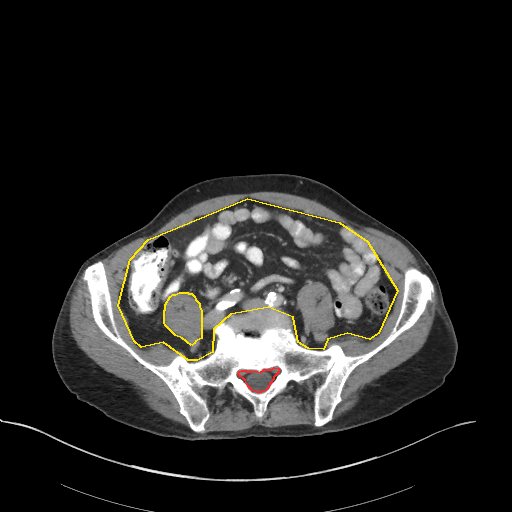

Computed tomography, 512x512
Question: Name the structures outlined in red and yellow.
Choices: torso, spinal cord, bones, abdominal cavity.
Answer: red: spinal cord; yellow: abdominal cavity.
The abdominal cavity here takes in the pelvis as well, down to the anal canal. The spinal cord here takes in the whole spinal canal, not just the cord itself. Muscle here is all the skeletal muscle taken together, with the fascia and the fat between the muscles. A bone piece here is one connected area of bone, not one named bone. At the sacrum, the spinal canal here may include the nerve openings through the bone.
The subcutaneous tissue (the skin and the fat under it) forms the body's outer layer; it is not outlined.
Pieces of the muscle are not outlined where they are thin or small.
{"spinal_cord":[[[274,367],[278,368],[279,370],[278,372],[273,377],[273,379],[269,384],[268,387],[265,390],[261,392],[256,392],[252,390],[248,386],[245,380],[238,374],[239,371],[241,370],[245,370],[246,371],[252,371],[254,370],[260,372],[264,369],[271,369]]],"abdominal_cavity":[{"outer":[[247,198],[339,222],[367,241],[397,290],[378,333],[369,339],[347,333],[327,339],[323,349],[308,348],[298,342],[293,317],[268,307],[230,314],[213,329],[212,352],[197,360],[188,360],[163,342],[141,347],[134,341],[118,305],[130,259],[148,239]],"hole":[[179,292],[187,292],[188,293],[191,293],[194,296],[195,299],[199,303],[199,306],[201,311],[201,338],[195,341],[194,343],[191,345],[182,338],[175,335],[165,325],[164,323],[164,310],[165,309],[165,304],[170,296],[173,294],[175,294]]}],"bones":[{"outer":[[99,260],[120,336],[157,365],[206,358],[218,324],[268,308],[292,317],[305,348],[363,354],[391,332],[406,269],[434,292],[351,372],[323,425],[319,373],[290,380],[261,418],[230,383],[194,386],[210,413],[196,432],[168,386],[93,320],[82,277]],"hole":[[274,367],[278,368],[279,370],[278,372],[273,377],[273,379],[269,384],[268,387],[265,390],[261,392],[256,392],[252,390],[248,386],[245,380],[238,374],[239,371],[241,370],[245,370],[246,371],[252,371],[254,370],[260,372],[264,369],[271,369]]}],"muscle":[[[257,191],[284,192],[316,200],[350,221],[377,229],[394,237],[408,248],[423,271],[414,266],[409,266],[404,270],[400,308],[390,332],[375,347],[355,355],[346,354],[341,345],[336,342],[325,347],[327,340],[334,337],[342,337],[347,334],[357,335],[369,340],[378,334],[383,327],[395,307],[398,290],[388,279],[382,259],[370,246],[368,241],[347,224],[311,214],[301,209],[247,197],[217,209],[191,223],[148,238],[129,259],[127,275],[119,291],[117,305],[127,320],[133,341],[141,348],[146,348],[159,342],[170,349],[181,352],[177,353],[166,364],[153,363],[143,358],[126,342],[118,330],[106,270],[101,259],[137,238],[152,234],[172,217],[198,202],[221,195]],[[82,274],[81,279],[84,283],[84,295],[89,306],[92,320],[96,326],[106,337],[122,348],[144,368],[157,376],[167,386],[178,405],[179,413],[184,417],[188,426],[156,412],[146,403],[139,391],[130,381],[106,371],[78,346],[71,333],[70,301]],[[319,374],[325,374],[313,392],[313,425],[277,427],[253,425],[238,431],[206,431],[205,424],[211,413],[207,400],[194,387],[222,389],[230,384],[234,392],[251,404],[254,415],[261,419],[267,411],[269,402],[282,393],[290,381],[299,383]],[[435,288],[435,316],[426,340],[421,348],[408,359],[360,389],[358,392],[357,402],[349,410],[333,419],[334,412],[337,406],[342,401],[343,389],[352,372],[358,366],[365,363],[387,347],[401,334],[410,329],[419,320],[426,311],[429,303],[434,300]],[[179,292],[187,292],[188,293],[191,293],[194,296],[195,299],[199,303],[199,306],[201,311],[201,338],[195,341],[194,343],[191,345],[182,338],[175,335],[165,325],[164,323],[164,310],[165,309],[165,304],[170,296],[173,294],[175,294]],[[309,282],[319,282],[323,284],[329,291],[331,297],[331,309],[334,318],[334,324],[333,326],[327,331],[323,331],[319,333],[314,333],[312,334],[311,333],[310,327],[307,322],[307,320],[297,308],[297,292],[300,288],[302,287],[302,286],[307,284]]],"torso":[[[258,173],[291,173],[318,180],[401,234],[417,248],[439,282],[457,339],[455,364],[443,384],[376,421],[342,431],[301,437],[250,436],[199,440],[165,437],[116,421],[77,399],[57,373],[51,340],[65,294],[82,263],[146,224],[184,188],[209,178]]]}